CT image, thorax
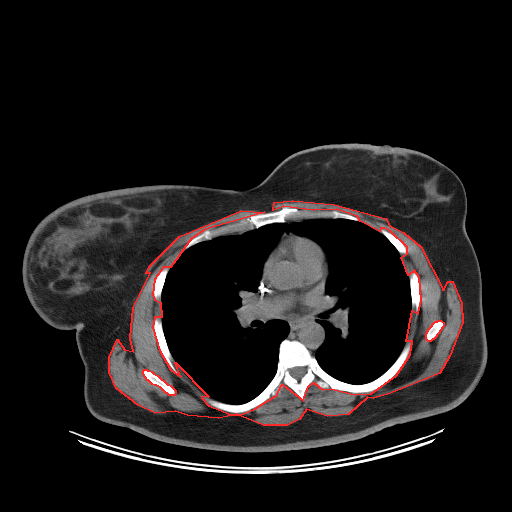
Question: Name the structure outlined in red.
Answer: red: muscle.
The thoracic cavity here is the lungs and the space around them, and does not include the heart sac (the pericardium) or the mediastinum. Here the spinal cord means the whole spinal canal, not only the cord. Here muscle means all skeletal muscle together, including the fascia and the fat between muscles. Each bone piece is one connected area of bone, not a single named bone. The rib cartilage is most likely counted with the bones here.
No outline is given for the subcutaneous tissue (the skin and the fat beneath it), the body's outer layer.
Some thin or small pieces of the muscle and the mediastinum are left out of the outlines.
{"muscle":[{"outer":[[292,200],[334,204],[385,218],[389,225],[403,232],[420,246],[443,290],[448,281],[452,281],[461,303],[462,322],[449,356],[439,373],[390,393],[373,398],[367,397],[348,414],[327,416],[306,409],[299,419],[287,425],[263,425],[236,414],[218,418],[187,415],[175,411],[155,413],[138,405],[116,388],[109,372],[109,357],[117,339],[124,349],[133,351],[130,338],[133,307],[150,273],[146,273],[149,266],[179,236],[241,210],[264,212],[205,229],[191,238],[170,267],[163,267],[154,279],[152,294],[154,299],[160,302],[161,317],[154,317],[152,327],[159,350],[170,369],[180,376],[175,362],[208,396],[201,397],[208,405],[231,414],[241,414],[255,408],[276,395],[282,384],[303,400],[308,386],[313,382],[322,389],[330,388],[354,394],[371,393],[396,375],[410,354],[412,341],[406,341],[412,310],[418,313],[421,300],[419,277],[414,270],[408,275],[401,257],[407,253],[407,247],[390,231],[384,228],[380,228],[379,231],[360,221],[357,216],[336,209],[312,210],[283,206],[273,210],[274,202]],"holes":[[[144,369],[146,369],[147,370],[149,370],[151,371],[153,373],[157,375],[167,384],[170,385],[175,390],[175,393],[174,395],[169,395],[167,393],[166,393],[160,387],[156,385],[154,385],[152,384],[148,380],[147,380],[143,374],[143,370]],[[438,320],[440,320],[443,322],[443,326],[441,328],[441,329],[439,331],[439,332],[436,335],[436,336],[433,339],[432,339],[430,341],[428,341],[426,339],[426,333],[427,332],[427,331],[428,330],[428,329],[432,325],[432,324],[435,321],[437,321]]]}],"torso":[[[338,143],[417,150],[461,180],[465,229],[481,273],[487,340],[486,365],[471,393],[446,412],[359,439],[275,452],[176,445],[93,416],[84,400],[76,331],[44,321],[23,286],[24,249],[38,222],[70,200],[112,189],[153,184],[249,189],[291,154]]],"thoracic_cavity":[[[314,218],[359,221],[400,254],[411,303],[401,351],[365,383],[321,367],[315,354],[326,338],[318,319],[328,303],[329,261],[315,241],[284,231],[255,294],[264,322],[289,327],[275,373],[245,402],[210,397],[166,341],[161,296],[169,269],[200,242]]],"mediastinum":[[[325,288],[327,303],[317,319],[325,332],[325,338],[314,356],[302,342],[287,338],[290,327],[285,320],[272,318],[264,321],[260,317],[262,316],[258,305],[258,297],[256,296],[258,291],[259,298],[268,308],[280,314],[291,316],[315,308],[320,303]]],"pericardium":[[[284,234],[294,234],[298,236],[302,236],[309,238],[315,242],[325,254],[328,265],[328,273],[325,282],[325,287],[319,303],[315,307],[291,315],[280,313],[268,307],[260,298],[260,294],[258,290],[262,277],[264,264],[270,253],[279,243]]],"spinal_cord":[[[294,367],[303,367],[304,368],[305,368],[305,373],[301,377],[301,378],[300,379],[297,379],[296,378],[295,378],[294,377],[293,377],[290,374],[290,369],[291,369],[292,368],[293,368]]],"bones":[{"outer":[[286,338],[302,343],[329,375],[354,385],[368,383],[383,374],[409,340],[411,348],[395,375],[371,392],[322,388],[313,381],[301,399],[282,383],[276,394],[255,407],[241,413],[231,413],[211,406],[202,397],[236,405],[257,396],[275,375],[279,346]],"hole":[[294,367],[303,367],[304,368],[305,368],[305,373],[301,377],[301,378],[300,379],[297,379],[296,378],[295,378],[294,377],[293,377],[290,374],[290,369],[291,369],[292,368],[293,368]]},[[283,207],[294,207],[312,211],[336,210],[357,217],[359,220],[341,217],[290,218],[283,222],[273,222],[257,228],[219,235],[195,243],[182,250],[183,247],[191,239],[205,230],[210,230],[220,226],[236,223],[241,219],[251,215],[277,211]],[[155,317],[158,317],[161,320],[161,324],[162,325],[162,329],[163,330],[163,334],[165,338],[165,341],[167,344],[168,349],[173,358],[174,365],[179,373],[179,376],[178,376],[171,369],[160,350],[160,348],[158,345],[155,336],[154,328],[153,327]],[[412,271],[414,271],[416,273],[418,277],[418,280],[419,281],[419,285],[420,286],[420,300],[419,301],[419,307],[418,308],[418,311],[417,313],[416,313],[412,309],[412,303],[411,302],[411,289],[410,288],[410,282],[409,281],[409,274]],[[144,369],[146,369],[147,370],[149,370],[151,371],[153,373],[157,375],[167,384],[170,385],[175,390],[175,393],[174,395],[169,395],[167,393],[166,393],[160,387],[156,385],[154,385],[152,384],[148,380],[147,380],[143,374],[143,370]],[[165,267],[168,267],[168,271],[166,274],[166,276],[165,277],[165,279],[163,283],[163,286],[161,290],[161,295],[160,296],[160,301],[157,301],[155,299],[154,297],[154,295],[153,294],[153,287],[154,286],[154,282],[159,272],[163,268]],[[380,229],[384,229],[385,230],[390,232],[392,234],[393,234],[396,237],[397,237],[406,247],[406,248],[407,249],[407,251],[406,252],[406,253],[405,253],[404,254],[401,254],[397,250],[397,249],[394,246],[394,245],[381,232],[380,232]],[[438,320],[440,320],[443,322],[443,326],[441,328],[441,329],[439,331],[439,332],[436,335],[436,336],[433,339],[432,339],[430,341],[428,341],[426,339],[426,333],[427,332],[427,331],[428,330],[428,329],[432,325],[432,324],[435,321],[437,321]]]}